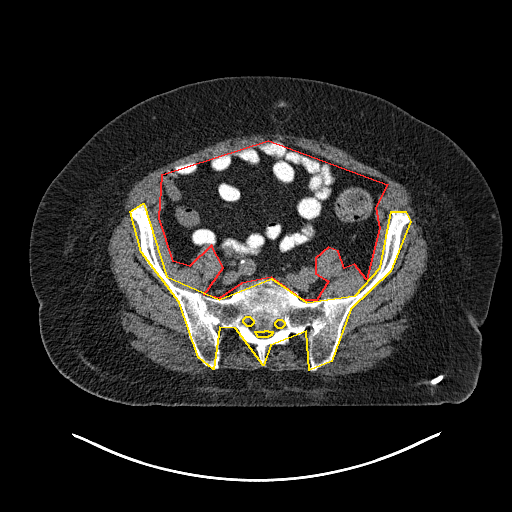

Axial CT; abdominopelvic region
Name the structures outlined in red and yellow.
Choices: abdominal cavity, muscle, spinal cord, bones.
red: abdominal cavity; yellow: bones.
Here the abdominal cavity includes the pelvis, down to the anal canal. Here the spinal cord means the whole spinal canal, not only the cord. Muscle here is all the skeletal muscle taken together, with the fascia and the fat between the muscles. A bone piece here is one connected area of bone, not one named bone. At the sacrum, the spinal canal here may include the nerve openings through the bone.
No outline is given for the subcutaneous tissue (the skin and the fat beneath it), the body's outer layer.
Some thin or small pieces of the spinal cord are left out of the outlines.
Outlines:
abdominal cavity: [[268,140],[387,184],[375,207],[379,228],[366,279],[354,264],[344,268],[338,251],[328,247],[315,258],[315,273],[328,281],[316,300],[303,300],[271,277],[241,283],[219,298],[204,294],[223,267],[211,245],[189,266],[173,261],[159,218],[162,174]]
bones: [[143,203],[166,276],[219,299],[271,278],[306,302],[355,295],[380,267],[391,211],[405,211],[410,221],[390,271],[350,309],[331,361],[309,370],[306,331],[270,345],[263,365],[235,328],[219,327],[213,369],[198,357],[179,302],[141,252],[130,211]]; inner edges: [[265,330],[267,330],[268,331],[272,331],[272,333],[271,334],[271,335],[270,335],[269,336],[268,336],[267,337],[258,337],[257,336],[257,335],[256,334],[256,333],[255,332],[255,331],[264,331]], then [[246,316],[249,316],[253,320],[253,323],[250,326],[247,326],[243,322],[243,319]], then [[278,319],[279,319],[280,319],[281,319],[282,320],[283,321],[284,322],[284,323],[284,324],[284,325],[283,326],[282,327],[281,328],[280,328],[279,328],[278,328],[277,327],[276,326],[275,325],[275,324],[275,323],[275,322],[276,321],[277,320]]
torso: [[240,75],[316,79],[377,95],[442,131],[480,170],[497,204],[503,240],[488,313],[479,327],[481,369],[465,400],[411,406],[134,406],[106,400],[81,389],[52,364],[39,331],[39,303],[29,271],[32,222],[46,188],[97,130],[136,103],[187,83]]
muscle 1: [[276,132],[343,149],[409,192],[427,243],[427,267],[403,307],[408,326],[392,352],[366,370],[334,376],[312,372],[333,360],[351,309],[393,268],[411,216],[405,210],[390,211],[381,262],[359,292],[321,297],[329,281],[316,273],[316,258],[328,248],[337,251],[344,269],[354,265],[367,279],[380,228],[376,207],[388,184],[284,140],[268,139],[213,160],[178,163],[158,179],[164,200],[158,218],[172,261],[189,267],[201,248],[211,246],[222,263],[203,293],[175,285],[163,270],[148,206],[139,203],[129,211],[145,262],[178,302],[197,357],[212,369],[193,375],[167,369],[132,348],[120,323],[127,300],[110,270],[107,247],[124,199],[137,181],[178,158],[228,138]]
muscle 2: [[219,328],[235,329],[241,341],[254,346],[258,359],[263,366],[266,363],[266,353],[270,346],[286,345],[290,342],[291,334],[301,336],[306,332],[309,371],[273,371],[265,367],[253,370],[218,369],[220,367],[220,343],[222,339],[222,335],[218,331]]
spinal cord: [[246,316],[249,316],[253,320],[253,323],[250,326],[247,326],[243,322],[243,319]]